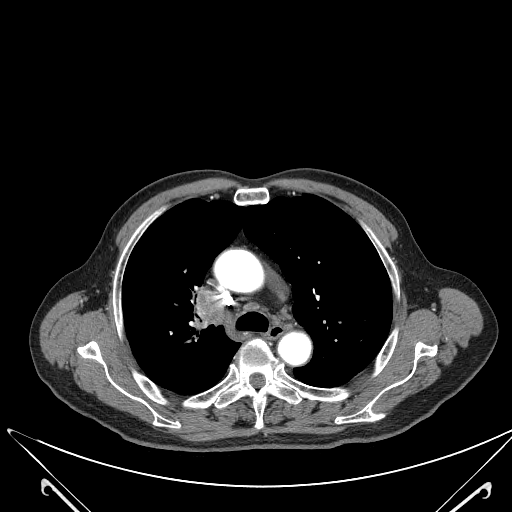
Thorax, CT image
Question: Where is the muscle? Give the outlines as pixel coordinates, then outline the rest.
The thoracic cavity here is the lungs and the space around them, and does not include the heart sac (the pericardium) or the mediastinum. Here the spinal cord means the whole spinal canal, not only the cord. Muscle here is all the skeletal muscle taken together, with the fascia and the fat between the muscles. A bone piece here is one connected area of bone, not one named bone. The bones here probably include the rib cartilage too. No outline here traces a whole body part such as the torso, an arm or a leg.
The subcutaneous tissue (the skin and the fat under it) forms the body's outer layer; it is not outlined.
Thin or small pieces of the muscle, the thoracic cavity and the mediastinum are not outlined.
Answer: {"muscle":[{"outer":[[280,177],[335,185],[372,204],[393,224],[398,238],[391,254],[402,272],[409,313],[420,308],[437,312],[438,291],[443,287],[458,289],[477,303],[483,316],[481,332],[458,351],[431,385],[400,402],[386,419],[374,422],[387,416],[373,408],[377,400],[410,379],[421,357],[437,354],[436,343],[418,340],[405,376],[382,388],[361,408],[334,418],[336,425],[369,423],[328,434],[259,432],[190,441],[105,404],[81,389],[67,371],[47,361],[39,343],[44,316],[60,299],[80,290],[86,292],[84,311],[102,308],[115,263],[111,290],[117,336],[121,342],[127,341],[141,370],[131,366],[132,378],[153,402],[169,405],[165,390],[186,396],[179,402],[185,409],[213,405],[220,410],[247,397],[255,415],[253,427],[260,430],[269,396],[291,405],[303,399],[341,402],[351,395],[344,385],[368,366],[372,367],[369,377],[376,377],[392,357],[399,338],[400,327],[395,324],[391,328],[394,302],[400,300],[396,264],[363,219],[357,221],[325,197],[303,188],[287,188],[285,193],[271,196],[265,185],[258,185]],"hole":[[92,340],[98,344],[101,356],[107,366],[108,373],[119,386],[127,392],[142,398],[162,416],[179,421],[181,427],[170,428],[153,425],[153,414],[144,404],[130,398],[113,386],[107,379],[103,366],[98,361],[92,358],[82,357],[78,353],[77,347]]},[[215,176],[230,178],[243,185],[247,185],[237,187],[231,199],[222,197],[219,192],[216,192],[210,193],[205,197],[191,197],[170,207],[167,203],[160,205],[136,226],[123,246],[116,262],[118,255],[115,242],[116,235],[130,215],[142,203],[168,188]]],"bones":[{"outer":[[253,338],[265,341],[285,371],[298,381],[324,388],[346,386],[350,395],[334,402],[303,398],[297,404],[269,395],[260,429],[254,427],[256,415],[247,396],[220,409],[213,404],[205,408],[183,407],[180,402],[184,398],[218,383],[227,374],[241,345]],"hole":[[254,373],[259,373],[260,374],[261,374],[264,377],[264,384],[262,386],[261,386],[259,388],[256,388],[255,387],[254,387],[251,384],[251,383],[250,382],[250,376],[252,374],[253,374]]},[[165,204],[169,205],[169,207],[158,216],[147,227],[141,235],[131,250],[125,266],[123,273],[123,279],[121,282],[121,309],[123,316],[124,333],[127,340],[121,341],[118,336],[113,312],[112,285],[116,263],[124,246],[137,226],[150,213],[160,206]],[[418,341],[427,345],[436,344],[437,352],[433,356],[421,356],[410,378],[385,391],[376,400],[372,408],[376,412],[385,413],[384,418],[373,422],[358,421],[340,424],[334,422],[337,416],[353,413],[361,409],[382,389],[405,377],[412,368],[415,344]],[[92,340],[98,344],[101,356],[107,366],[108,373],[119,386],[127,392],[142,398],[162,416],[179,421],[181,427],[170,428],[153,425],[153,414],[144,404],[130,398],[113,386],[107,379],[103,366],[98,361],[92,358],[82,357],[78,353],[77,347]],[[358,219],[363,220],[373,230],[377,237],[387,250],[391,259],[395,264],[397,273],[399,277],[399,300],[398,301],[395,300],[394,301],[393,292],[392,291],[392,286],[391,285],[389,276],[386,271],[386,269],[377,250],[362,227],[359,224]],[[242,186],[265,186],[268,189],[269,191],[269,193],[270,194],[270,199],[269,201],[264,204],[252,204],[251,205],[246,205],[245,206],[243,206],[242,205],[237,205],[235,204],[232,200],[232,198],[233,197],[234,192],[237,188],[239,187],[241,187]],[[395,325],[397,325],[399,327],[399,331],[398,332],[398,338],[397,339],[397,342],[392,353],[392,355],[381,371],[376,376],[371,378],[370,377],[370,374],[373,369],[373,367],[372,366],[373,361],[384,344],[391,329]],[[131,367],[134,367],[140,372],[144,374],[150,380],[151,380],[156,385],[157,385],[162,390],[163,390],[163,393],[169,400],[169,404],[167,405],[163,405],[150,399],[140,389],[136,383],[135,380],[133,378],[131,373],[131,370],[130,369]]],"mediastinum":[[[241,229],[252,243],[279,266],[283,276],[291,284],[292,313],[312,340],[311,359],[305,365],[295,367],[291,373],[286,371],[284,364],[262,338],[253,337],[241,344],[227,335],[222,324],[210,322],[208,302],[202,291],[203,280],[216,256],[236,238]]],"thoracic_cavity":[[[305,193],[355,220],[388,276],[390,330],[372,363],[331,387],[290,374],[312,359],[313,340],[293,313],[292,284],[241,228],[201,285],[209,322],[240,346],[209,388],[190,395],[162,389],[143,373],[124,327],[122,282],[142,235],[191,198],[245,207]]],"spinal_cord":[[[254,373],[259,373],[260,374],[261,374],[264,377],[264,384],[262,386],[261,386],[259,388],[256,388],[255,387],[254,387],[251,384],[251,383],[250,382],[250,376],[252,374],[253,374]]]}